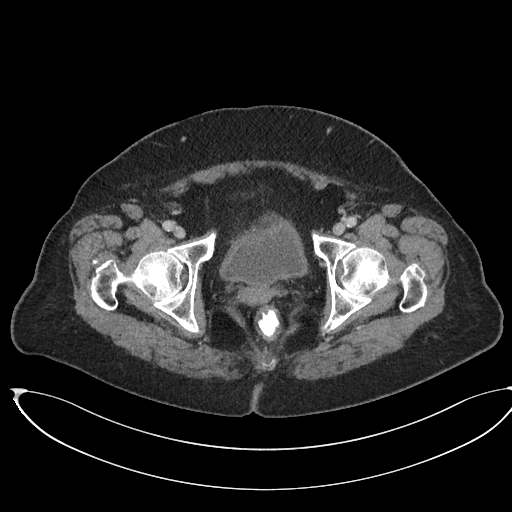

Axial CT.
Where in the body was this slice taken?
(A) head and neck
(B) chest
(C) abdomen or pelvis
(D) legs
Answer: (C) abdomen or pelvis
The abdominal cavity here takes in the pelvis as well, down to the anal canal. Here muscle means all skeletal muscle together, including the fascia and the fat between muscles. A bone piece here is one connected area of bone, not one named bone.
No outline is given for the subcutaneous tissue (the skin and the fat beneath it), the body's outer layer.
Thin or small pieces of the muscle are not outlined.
Outlined structures:
torso: [[259,104],[303,106],[340,116],[395,150],[476,246],[485,281],[503,311],[497,343],[400,392],[347,408],[290,417],[254,412],[223,416],[179,408],[129,393],[45,356],[20,352],[10,337],[13,308],[33,277],[46,235],[88,176],[164,125],[211,109]]
bones 1: [[213,230],[217,231],[215,249],[198,267],[194,294],[193,312],[200,332],[183,328],[155,307],[134,285],[123,283],[118,286],[118,305],[114,310],[100,307],[91,297],[91,278],[96,267],[105,260],[113,259],[121,271],[129,274],[145,254],[201,239]]
bones 2: [[311,231],[377,250],[384,256],[388,272],[393,278],[397,278],[410,264],[416,263],[426,274],[427,296],[424,305],[411,312],[402,312],[398,307],[401,285],[390,283],[377,291],[369,303],[323,335],[321,327],[330,314],[331,291],[326,263],[314,253]]
bones 3: [[272,358],[275,358],[276,359],[276,363],[275,364],[275,365],[274,366],[274,367],[273,368],[272,368],[271,369],[270,369],[269,368],[267,368],[266,369],[262,369],[260,367],[260,363],[261,362],[262,362],[263,361],[264,361],[265,362],[268,362]]
muscle: [[246,159],[270,159],[271,160],[275,159],[276,160],[282,160],[297,163],[300,165],[333,176],[336,176],[344,180],[357,184],[385,199],[412,207],[421,212],[423,212],[431,216],[439,222],[444,228],[448,236],[449,264],[450,265],[450,275],[445,287],[445,304],[442,312],[433,319],[420,326],[414,332],[407,341],[406,344],[402,348],[387,355],[384,355],[381,358],[370,363],[363,365],[358,368],[355,368],[345,373],[339,374],[333,377],[321,378],[316,380],[297,379],[293,376],[289,376],[287,374],[277,371],[270,372],[266,377],[263,377],[260,374],[254,377],[250,374],[247,374],[240,378],[232,380],[225,380],[224,379],[209,379],[206,380],[205,379],[198,379],[188,377],[169,371],[164,368],[154,365],[148,361],[128,354],[123,349],[115,345],[110,340],[90,327],[75,312],[72,297],[73,288],[68,270],[68,249],[69,248],[68,237],[73,224],[86,214],[98,209],[150,195],[165,187],[181,175],[191,173],[195,170],[203,169],[214,164],[230,162],[236,160],[245,160]], around holes outlined by [[258,169],[283,171],[316,190],[341,188],[335,217],[312,230],[377,250],[393,278],[416,263],[426,274],[424,305],[402,312],[401,285],[390,283],[323,335],[331,291],[315,254],[321,307],[296,306],[271,341],[256,335],[233,298],[205,299],[209,259],[197,272],[198,333],[134,285],[118,286],[114,310],[100,307],[90,295],[99,264],[111,258],[129,274],[149,252],[207,236],[214,227],[192,233],[185,226],[186,191]] and by [[217,311],[222,311],[223,312],[224,312],[241,330],[241,332],[243,334],[243,340],[242,341],[242,342],[238,346],[237,346],[236,347],[227,347],[226,346],[223,346],[222,345],[217,344],[215,342],[215,341],[213,338],[213,318],[214,317],[214,314]] and by [[307,322],[314,323],[315,324],[316,331],[315,332],[315,337],[314,339],[307,345],[303,347],[301,347],[298,349],[295,349],[294,350],[289,350],[287,347],[288,340],[293,334],[294,334],[301,327],[302,327],[305,323]] and by [[272,358],[275,358],[276,359],[276,363],[275,364],[275,365],[274,366],[274,367],[273,368],[272,368],[271,369],[270,369],[269,368],[267,368],[266,369],[262,369],[260,367],[260,363],[261,362],[262,362],[263,361],[264,361],[265,362],[268,362]]
abdominal cavity: [[258,169],[283,171],[316,190],[333,185],[343,192],[335,217],[309,232],[324,282],[321,307],[296,306],[286,327],[266,342],[248,325],[233,298],[214,303],[205,299],[203,280],[218,231],[212,227],[189,232],[182,206],[186,191],[194,185],[213,184]]